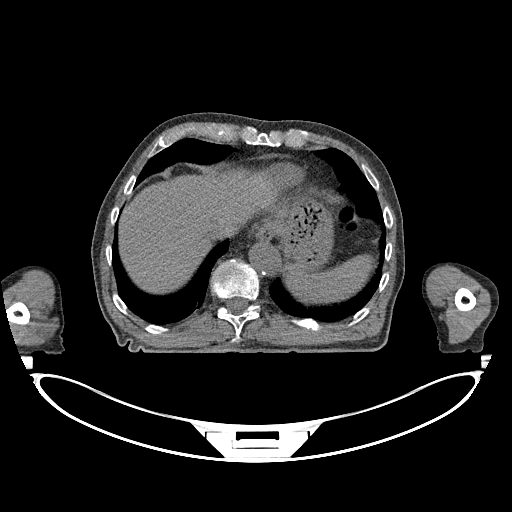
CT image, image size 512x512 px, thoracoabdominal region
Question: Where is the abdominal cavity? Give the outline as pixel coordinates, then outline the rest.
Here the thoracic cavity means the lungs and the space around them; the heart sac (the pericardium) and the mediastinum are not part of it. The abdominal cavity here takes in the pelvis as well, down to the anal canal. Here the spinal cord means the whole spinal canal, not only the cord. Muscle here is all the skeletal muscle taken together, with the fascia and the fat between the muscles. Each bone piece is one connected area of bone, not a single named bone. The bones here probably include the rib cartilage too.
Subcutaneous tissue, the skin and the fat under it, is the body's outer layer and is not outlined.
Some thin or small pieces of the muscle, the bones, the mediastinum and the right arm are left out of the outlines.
Answer: The abdominal cavity is outlined by 225,158 254,168 283,190 332,187 353,198 357,213 381,228 378,264 367,285 337,305 296,303 279,279 284,265 280,241 258,225 216,245 179,291 161,296 137,289 118,254 118,218 134,188 177,162 210,164. The bones appear in 15 outlined pieces: piece 1: 212,123 249,125 266,133 289,128 303,129 310,132 314,139 322,143 317,144 308,141 301,148 293,148 284,145 253,145 240,140 218,142 206,136 188,133 185,137 148,159 147,155 159,136 190,125 203,126; piece 2: 231,258 236,258 249,264 257,274 260,287 259,295 255,301 260,305 260,315 244,323 240,332 240,339 234,342 231,341 235,335 234,327 229,321 217,316 217,310 221,301 212,296 209,289 212,270 221,262 with a hole at 234,297 241,297 242,298 245,298 247,299 248,301 248,305 247,307 245,309 245,310 241,313 239,313 238,314 232,313 230,312 226,307 226,305 225,304 225,300 226,299 229,299 230,298 233,298; piece 3: 16,301 21,301 23,302 26,305 26,306 29,310 29,313 30,314 30,316 29,317 29,321 28,323 26,324 18,324 17,323 12,323 9,320 8,320 8,318 6,315 6,307 9,306 12,303; piece 4: 460,287 466,287 468,288 475,296 475,298 476,299 476,303 475,305 471,309 467,311 461,311 459,310 457,308 454,302 454,296 455,295 455,292 458,289 458,288; piece 5: 292,318 297,318 298,319 302,319 303,318 311,318 317,321 321,325 321,328 318,330 313,330 309,328 306,328 302,326 299,326 298,325 296,325 292,323 290,321 290,320; piece 6: 361,163 364,163 366,165 367,165 377,178 377,179 378,180 378,182 379,183 379,191 378,192 376,192 376,191 370,184 370,183 368,181 367,178 365,176 365,175 363,173 363,172 359,167 360,166 360,164; piece 7: 366,305 367,306 368,306 370,308 370,309 369,310 369,312 362,319 361,319 356,323 355,323 354,324 353,324 350,326 347,326 347,324 352,319 352,316 356,312 357,312 360,309 361,309 364,306 365,306; piece 8: 113,292 117,292 117,293 120,297 120,298 124,302 124,303 126,305 126,306 128,309 128,314 127,315 126,315 122,312 121,312 117,308 117,307 115,305 115,304 112,299 112,293; piece 9: 386,205 387,205 389,207 390,209 390,211 392,214 392,218 393,219 393,222 392,223 392,225 391,227 387,229 386,229 385,227 385,225 384,224 384,219 383,218 383,212 382,211 382,208; piece 10: 132,174 134,174 135,175 136,175 136,179 135,180 134,187 132,190 132,193 131,194 131,195 130,195 129,196 129,197 127,195 124,194 124,193 123,192 123,190 124,189 124,186 125,185 127,180; piece 11: 147,324 154,324 155,325 161,325 162,326 165,326 168,328 168,330 167,331 165,331 164,332 162,332 159,334 154,334 153,333 151,333 150,332 149,332 148,331 145,330 144,327; piece 12: 385,271 387,271 389,273 389,278 388,279 388,281 387,282 385,287 382,290 382,291 379,292 377,290 377,289 378,288 378,286 379,285 379,282 380,281 380,279 381,278 381,276 382,275 383,272 384,272; piece 13: 115,205 116,205 117,206 118,206 120,209 119,210 119,213 118,214 118,217 117,218 117,220 116,221 116,222 115,223 115,224 114,225 112,225 111,224 111,220 110,219 110,212 111,211 111,209; piece 14: 387,241 388,241 389,242 390,242 391,243 391,244 392,245 392,251 391,252 391,255 390,256 390,258 389,259 389,260 388,261 385,261 385,259 384,258 384,252 385,251 385,246 386,245 386,242; piece 15: 107,244 111,244 111,266 110,266 108,264 108,263 107,262 107,259 106,258 106,255 105,254 105,249 106,248 106,245. The left arm is outlined by 442,261 453,261 467,265 487,276 497,287 499,294 498,308 495,316 484,333 483,348 479,353 473,353 469,350 466,350 462,353 441,353 439,351 436,338 436,327 428,307 422,297 421,280 423,273 428,267. The pericardium is outlined by 267,153 285,154 299,159 302,159 305,161 317,165 325,174 328,180 329,185 328,186 313,186 312,187 295,187 290,189 283,189 281,188 277,184 266,177 257,169 242,162 238,159 244,158 245,157 256,157. The muscle appears in 4 outlined pieces: piece 1: 191,121 244,125 226,122 190,124 161,134 147,153 147,161 139,173 132,173 128,177 122,190 127,199 120,208 115,204 110,209 113,238 104,249 116,285 116,291 111,293 116,308 126,316 131,311 147,323 143,327 145,331 159,335 169,330 166,324 179,322 201,312 210,295 220,301 216,316 232,325 234,335 230,341 234,343 241,339 245,323 260,317 261,305 256,302 260,294 276,310 291,316 289,321 296,326 318,331 322,328 321,322 332,323 351,317 346,324 350,327 370,312 368,302 376,291 383,291 390,278 390,273 383,271 383,265 390,260 393,251 392,243 386,239 386,230 392,227 394,219 390,207 387,204 380,205 377,196 380,191 379,180 396,217 397,252 394,285 383,326 377,336 315,345 275,345 252,340 228,346 212,342 196,347 155,347 138,341 114,322 104,303 99,267 107,214 123,179 155,137 167,128; piece 2: 443,265 454,266 464,273 474,278 489,292 491,299 491,307 487,317 475,329 472,335 468,339 455,344 452,344 448,342 448,333 443,321 439,319 439,311 431,303 426,292 426,279 428,275 432,270 439,266 with a hole at 460,287 466,287 468,288 475,296 475,298 476,299 476,303 475,305 471,309 467,311 461,311 459,310 457,308 454,302 454,296 455,295 455,292 458,289 458,288; piece 3: 32,269 42,270 52,279 55,288 54,303 56,306 56,314 60,322 53,335 44,343 18,346 16,345 16,340 8,321 12,324 26,325 30,321 30,310 21,300 16,300 6,306 2,291 17,281 24,272; piece 4: 309,131 331,136 352,147 358,153 364,156 373,168 377,177 367,164 364,162 361,162 359,166 349,155 336,147 333,146 304,147 308,142 313,142 317,145 321,145 323,143 321,140 314,138 312,136 312,133. The thoracic cavity appears in 3 outlined pieces: piece 1: 328,147 349,156 375,191 386,241 382,273 367,303 344,319 319,322 284,313 260,293 278,279 296,304 314,309 332,307 357,296 376,273 382,228 373,217 358,213 354,198 340,188 334,168 315,154 316,150; piece 2: 117,221 117,254 121,267 131,284 140,292 150,296 169,296 185,288 208,254 224,240 228,240 226,251 215,261 211,269 208,281 209,294 201,311 179,321 162,325 148,323 128,308 117,291 112,267 112,243; piece 3: 186,137 200,138 204,140 209,140 211,142 228,144 233,148 233,151 229,155 223,159 210,163 177,161 168,165 161,171 158,171 148,175 147,177 135,186 137,176 149,159 164,149 169,147 175,142. The mediastinum appears in 2 outlined pieces: piece 1: 258,226 261,226 277,238 283,258 283,265 281,266 281,273 279,278 273,279 268,285 267,289 261,289 260,279 257,272 249,263 242,259 231,257 221,261 213,268 216,261 227,251 230,240 233,240 243,232; piece 2: 241,142 253,146 284,146 293,149 320,148 316,149 314,154 322,158 333,168 340,184 339,187 334,188 329,186 330,183 326,174 317,164 289,154 267,152 237,159 227,157 234,151 234,148 228,143 222,143. The right arm is outlined by 29,264 38,264 45,266 55,274 59,281 64,316 64,327 61,335 65,349 61,354 46,354 43,351 35,351 31,357 26,357 25,355 21,355 18,351 16,340 6,315 6,306 4,302 1,281 11,272. The torso is outlined by 208,111 264,120 321,122 356,137 383,162 403,217 405,273 394,304 388,339 381,348 352,353 192,354 144,353 142,350 132,353 126,345 118,345 100,310 92,272 90,248 99,207 130,154 152,129 174,116. The spinal cord is outlined by 234,297 241,297 242,298 245,298 247,299 248,301 248,305 247,307 245,309 245,310 241,313 239,313 238,314 232,313 230,312 226,307 226,305 225,304 225,300 226,299 229,299 230,298 233,298.